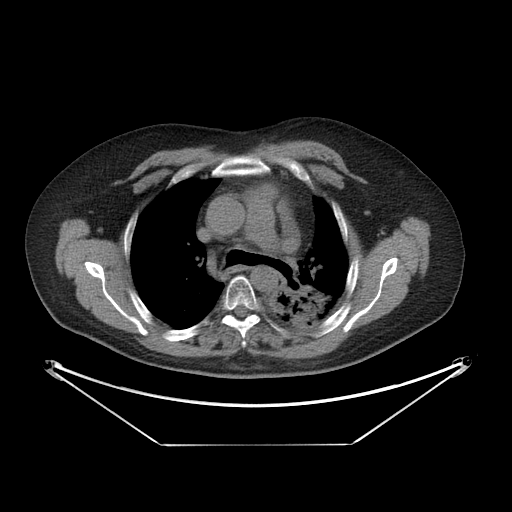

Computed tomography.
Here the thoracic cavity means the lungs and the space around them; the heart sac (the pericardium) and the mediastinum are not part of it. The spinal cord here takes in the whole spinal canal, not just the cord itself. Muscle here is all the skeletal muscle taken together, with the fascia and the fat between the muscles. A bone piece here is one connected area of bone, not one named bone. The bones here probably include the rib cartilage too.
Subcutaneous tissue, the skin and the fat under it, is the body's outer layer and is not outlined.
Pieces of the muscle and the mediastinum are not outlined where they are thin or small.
The torso is outlined by 306 115; 337 119; 390 143; 428 175; 452 204; 462 231; 465 261; 454 302; 440 319; 394 346; 343 368; 309 375; 235 379; 135 361; 60 326; 50 316; 29 274; 25 227; 40 192; 75 158; 106 139; 150 124; 180 122; 243 130. The spinal cord is outlined by 238 305; 243 305; 248 310; 248 313; 243 318; 239 318; 238 317; 237 317; 234 314; 234 313; 233 312; 233 311; 234 310; 234 309. The thoracic cavity appears in 2 outlined pieces: piece 1: 195 175; 201 179; 209 177; 220 179; 201 204; 197 212; 194 226; 195 235; 205 248; 207 273; 214 280; 223 283; 224 289; 217 304; 202 319; 184 328; 172 328; 153 315; 136 289; 130 263; 132 239; 139 215; 146 206; 163 190; piece 2: 314 194; 321 197; 331 208; 342 242; 346 249; 348 268; 344 284; 344 293; 337 308; 319 324; 307 329; 294 330; 277 324; 271 319; 268 310; 261 300; 265 300; 278 290; 284 277; 285 268; 304 257; 311 247; 316 219; 312 200. The mediastinum is outlined by 275 167; 287 169; 314 193; 311 197; 315 218; 314 231; 311 245; 304 256; 284 268; 281 283; 274 293; 260 299; 244 274; 234 275; 225 286; 208 273; 206 248; 198 239; 195 226; 202 204; 218 185; 220 178; 269 174; 271 168 with a hole at 263 181; 273 181; 283 188; 296 213; 299 221; 298 224; 299 244; 296 251; 292 253; 275 254; 271 252; 263 251; 255 246; 241 241; 222 241; 215 238; 207 232; 202 224; 202 210; 205 203; 211 197; 225 190; 238 189; 241 187. The bones appear in 12 outlined pieces: piece 1: 239 274; 249 280; 263 306; 260 321; 245 334; 246 345; 244 347; 241 345; 240 333; 235 328; 220 323; 213 314; 210 317; 212 322; 201 326; 194 336; 178 341; 163 338; 163 332; 170 328; 184 329; 202 320; 218 304; 230 279, around a hole outlined by 238 305; 243 305; 248 310; 248 313; 243 318; 239 318; 238 317; 237 317; 234 314; 234 313; 233 312; 233 311; 234 310; 234 309; piece 2: 242 154; 243 155; 252 155; 253 156; 256 156; 260 158; 270 167; 271 171; 269 173; 264 173; 263 174; 246 174; 245 175; 226 175; 222 177; 212 177; 210 176; 210 173; 211 171; 225 158; 229 157; 230 156; 241 155; piece 3: 86 261; 95 262; 102 266; 104 271; 105 287; 107 292; 127 314; 136 317; 140 321; 141 324; 148 332; 146 335; 141 334; 138 331; 136 325; 132 321; 122 315; 104 295; 102 290; 101 280; 98 277; 95 277; 88 272; 84 264; piece 4: 392 257; 396 257; 397 258; 396 269; 393 273; 387 275; 383 280; 381 292; 379 297; 370 309; 367 312; 361 315; 353 323; 351 328; 348 331; 344 332; 342 329; 345 323; 354 314; 366 307; 376 295; 379 286; 382 266; 386 260; piece 5: 346 302; 348 302; 350 303; 350 309; 348 313; 346 315; 345 318; 339 325; 338 325; 331 331; 323 335; 321 335; 318 337; 314 337; 311 335; 318 330; 319 325; 326 318; 327 318; 330 315; 331 315; 341 305; 342 305; piece 6: 278 156; 289 157; 298 162; 308 173; 311 179; 311 181; 313 184; 314 189; 315 190; 314 192; 313 192; 306 185; 305 183; 304 183; 301 180; 297 178; 287 168; 283 167; 281 165; 274 162; 272 160; 272 159; 274 157; 277 157; piece 7: 197 162; 202 162; 204 163; 204 165; 201 168; 201 169; 200 169; 194 175; 188 178; 186 178; 183 180; 181 180; 179 182; 172 185; 170 187; 166 188; 166 186; 170 180; 171 177; 178 170; 188 164; 190 164; 191 163; 196 163; piece 8: 136 209; 138 210; 139 214; 138 215; 138 218; 137 219; 137 221; 133 231; 132 238; 131 239; 131 247; 130 248; 129 259; 126 259; 125 253; 124 252; 124 244; 123 243; 124 230; 125 229; 126 224; 128 221; 128 219; 132 213; piece 9: 130 288; 132 289; 134 289; 137 292; 139 297; 141 299; 143 303; 152 314; 152 321; 153 322; 152 324; 149 324; 147 323; 140 316; 139 313; 135 308; 130 298; 130 296; 128 293; 128 290; piece 10: 354 257; 357 257; 358 259; 358 275; 357 276; 356 283; 353 289; 353 291; 350 295; 350 296; 348 296; 347 295; 347 293; 345 291; 345 284; 346 283; 346 278; 347 277; 347 273; 348 272; 348 269; 349 268; 349 263; piece 11: 331 200; 334 200; 340 206; 342 210; 343 215; 345 218; 345 221; 347 225; 347 243; 346 245; 345 245; 345 244; 343 242; 342 236; 341 235; 341 233; 340 232; 337 221; 335 218; 335 216; 333 213; 332 208; 330 205; 330 202; piece 12: 266 317; 269 318; 272 321; 273 321; 277 325; 278 325; 279 326; 282 327; 285 330; 285 333; 284 334; 283 334; 282 333; 281 333; 280 332; 277 331; 275 329; 274 329; 270 325; 270 324; 266 320. The muscle appears in 2 outlined pieces: piece 1: 344 213; 367 251; 389 236; 403 218; 425 220; 430 227; 429 263; 423 277; 413 278; 405 298; 389 313; 357 328; 334 350; 311 358; 283 359; 246 351; 179 357; 148 349; 131 333; 85 309; 74 287; 59 274; 54 258; 65 219; 83 218; 92 237; 114 241; 124 228; 123 252; 135 287; 127 293; 147 324; 154 323; 153 316; 169 326; 161 334; 166 341; 196 336; 201 327; 213 322; 213 315; 239 333; 244 348; 246 334; 261 321; 264 306; 269 316; 265 320; 277 332; 284 335; 284 328; 301 331; 318 325; 310 335; 318 338; 346 318; 351 303; 338 306; 345 292; 351 296; 359 275; 358 257; 349 262; 348 258 with holes at 86 261; 95 262; 102 266; 104 271; 105 287; 107 292; 127 314; 136 317; 140 321; 141 324; 148 332; 146 335; 141 334; 138 331; 136 325; 132 321; 122 315; 104 295; 102 290; 101 280; 98 277; 95 277; 88 272; 84 264 and at 392 257; 396 257; 397 258; 396 269; 393 273; 387 275; 383 280; 381 292; 379 297; 370 309; 367 312; 361 315; 353 323; 351 328; 348 331; 344 332; 342 329; 345 323; 354 314; 366 307; 376 295; 379 286; 382 266; 386 260; piece 2: 300 139; 318 141; 332 148; 352 173; 367 181; 347 177; 342 189; 331 190; 337 202; 331 199; 329 204; 315 193; 306 169; 295 159; 283 155; 271 159; 281 166; 274 167; 256 155; 230 155; 205 175; 196 174; 204 162; 188 163; 170 177; 165 188; 140 213; 137 208; 134 210; 141 196; 133 192; 132 181; 113 184; 126 178; 138 164; 159 150; 216 144; 226 152; 240 154; 262 142. The pericardium is outlined by 263 181; 273 181; 283 188; 296 213; 299 221; 298 224; 299 244; 296 251; 292 253; 275 254; 271 252; 263 251; 255 246; 241 241; 222 241; 215 238; 207 232; 202 224; 202 210; 205 203; 211 197; 225 190; 238 189; 241 187.